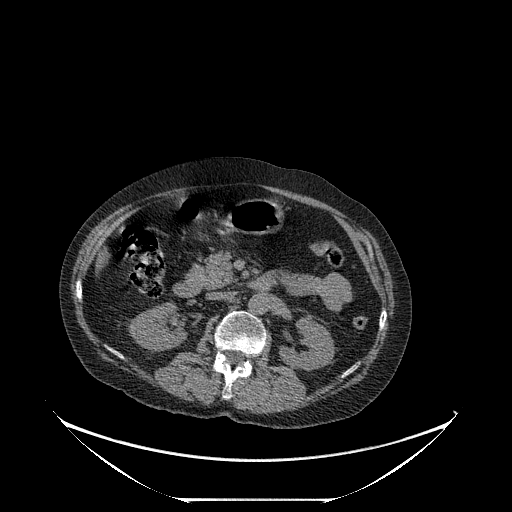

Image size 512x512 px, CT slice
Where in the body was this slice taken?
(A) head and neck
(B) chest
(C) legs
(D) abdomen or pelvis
Answer: (D) abdomen or pelvis
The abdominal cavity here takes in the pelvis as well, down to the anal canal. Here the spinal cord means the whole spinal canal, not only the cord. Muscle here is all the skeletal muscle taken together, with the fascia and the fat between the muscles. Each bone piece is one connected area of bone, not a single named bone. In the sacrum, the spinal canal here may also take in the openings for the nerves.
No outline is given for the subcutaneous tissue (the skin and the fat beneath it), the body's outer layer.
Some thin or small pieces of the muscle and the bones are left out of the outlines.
{"abdominal_cavity":[[[232,186],[259,188],[328,212],[365,266],[381,307],[374,341],[363,356],[323,385],[308,387],[291,367],[269,364],[271,333],[259,317],[244,309],[213,316],[196,351],[181,351],[154,369],[104,342],[86,320],[82,282],[102,242],[120,222],[165,198]]],"bones":[{"outer":[[233,310],[244,310],[259,318],[266,330],[266,343],[261,352],[251,359],[252,371],[250,375],[248,377],[237,377],[234,380],[231,386],[232,396],[227,400],[222,398],[222,390],[225,384],[224,375],[214,371],[212,367],[217,350],[213,333],[222,317]],"hole":[[228,350],[230,350],[231,351],[240,351],[242,353],[243,353],[244,354],[244,355],[245,356],[245,359],[241,363],[238,363],[237,364],[235,364],[234,365],[232,365],[227,361],[227,358],[226,357],[226,355],[225,354],[225,351],[227,351]]},[[382,307],[384,307],[386,310],[386,312],[387,313],[387,318],[386,319],[386,322],[385,323],[385,326],[384,327],[384,329],[383,329],[381,331],[380,331],[379,332],[378,331],[378,328],[379,327],[379,316],[380,315],[380,312],[381,311],[381,308]],[[79,276],[80,277],[80,278],[81,279],[81,282],[82,283],[82,300],[80,302],[79,302],[78,301],[78,300],[77,299],[77,298],[76,297],[76,296],[75,295],[75,291],[76,290],[76,280],[77,279],[77,278]],[[358,360],[359,360],[360,361],[360,363],[359,364],[359,365],[358,366],[358,367],[352,373],[351,373],[349,375],[348,375],[347,376],[346,376],[344,378],[341,378],[340,377],[340,375],[345,370],[346,370],[350,366],[351,366],[354,363],[355,363]],[[103,343],[106,343],[111,347],[114,348],[116,350],[117,350],[119,352],[120,352],[125,357],[125,360],[123,360],[122,359],[120,359],[118,357],[117,357],[115,355],[114,355],[112,353],[111,353],[107,349],[106,349],[104,347],[104,346],[103,345]],[[362,236],[364,236],[365,237],[366,237],[368,239],[368,240],[371,244],[371,246],[372,247],[372,249],[373,250],[373,258],[372,259],[371,259],[368,255],[368,252],[367,251],[367,249],[366,248],[366,246],[364,243],[364,241],[363,240],[363,237]]],"torso":[[[216,156],[254,158],[315,173],[365,205],[394,243],[411,288],[411,329],[393,377],[358,413],[302,428],[244,424],[226,416],[205,419],[174,414],[141,404],[94,378],[72,350],[60,316],[58,280],[64,254],[80,225],[102,202],[133,181],[174,164]]],"spinal_cord":[[[228,350],[230,350],[231,351],[240,351],[242,353],[243,353],[244,354],[244,355],[245,356],[245,359],[241,363],[238,363],[237,364],[235,364],[234,365],[232,365],[227,361],[227,358],[226,357],[226,355],[225,354],[225,351],[227,351]]],"muscle":[{"outer":[[251,182],[288,190],[298,194],[305,195],[317,199],[337,209],[345,214],[349,218],[351,218],[353,220],[355,220],[358,222],[365,229],[369,231],[376,239],[387,264],[392,280],[392,290],[394,297],[394,310],[393,311],[394,317],[392,323],[392,329],[388,335],[386,341],[384,342],[382,347],[380,349],[377,357],[370,365],[365,377],[358,383],[356,383],[350,387],[345,388],[331,396],[328,396],[326,398],[320,399],[304,407],[280,413],[267,413],[266,414],[251,413],[237,409],[230,402],[227,401],[222,401],[213,406],[209,407],[203,407],[195,405],[175,396],[173,396],[159,387],[156,387],[134,375],[132,375],[121,369],[119,369],[111,363],[103,360],[97,354],[94,348],[94,345],[88,339],[76,320],[76,316],[74,311],[75,310],[74,309],[74,304],[71,296],[70,284],[71,283],[72,271],[78,255],[78,252],[83,241],[94,226],[103,218],[116,209],[129,203],[139,200],[146,196],[170,190],[174,188],[187,187],[188,186],[217,185],[218,184],[240,184],[241,183],[250,183]],"holes":[[[232,186],[259,188],[324,210],[345,230],[387,313],[384,329],[376,333],[349,375],[338,374],[323,385],[308,387],[291,367],[269,364],[272,338],[267,330],[265,345],[251,359],[250,375],[234,380],[227,400],[222,398],[224,375],[212,367],[217,350],[213,333],[220,316],[206,323],[196,351],[181,351],[154,369],[127,356],[120,359],[90,328],[83,301],[75,295],[76,280],[79,276],[84,280],[116,226],[147,204]],[[362,236],[364,236],[365,237],[366,237],[368,239],[368,240],[371,244],[371,246],[372,247],[372,249],[373,250],[373,258],[372,259],[371,259],[368,255],[368,252],[367,251],[367,249],[366,248],[366,246],[364,243],[364,241],[363,240],[363,237]]]}]}